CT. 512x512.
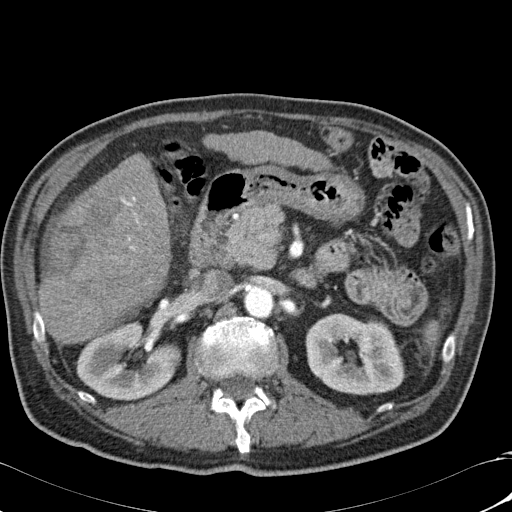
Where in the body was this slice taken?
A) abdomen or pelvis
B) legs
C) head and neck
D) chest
Answer: A) abdomen or pelvis
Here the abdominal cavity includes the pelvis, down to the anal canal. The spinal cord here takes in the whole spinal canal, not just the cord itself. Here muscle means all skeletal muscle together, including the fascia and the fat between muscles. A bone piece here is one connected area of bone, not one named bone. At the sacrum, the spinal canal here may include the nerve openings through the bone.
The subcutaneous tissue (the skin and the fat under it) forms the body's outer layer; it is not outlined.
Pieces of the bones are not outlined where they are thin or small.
{"abdominal_cavity":[[[254,113],[383,136],[417,154],[435,176],[465,256],[463,297],[435,381],[408,400],[371,409],[339,406],[292,375],[280,333],[233,315],[192,335],[185,374],[149,397],[109,404],[78,389],[55,366],[36,294],[36,241],[51,204],[116,138],[165,123]]],"torso":[[[237,92],[347,101],[385,111],[443,143],[480,188],[495,250],[491,317],[463,403],[433,439],[373,461],[317,473],[260,477],[233,470],[195,475],[100,457],[48,435],[27,417],[10,361],[0,282],[4,223],[23,179],[54,145],[94,121],[150,102]]],"spinal_cord":[[[237,373],[238,374],[242,374],[246,377],[248,377],[249,376],[255,381],[255,384],[252,390],[252,394],[243,400],[239,400],[238,401],[235,400],[230,396],[226,396],[222,388],[220,386],[220,381],[223,378],[227,378],[230,376],[233,376]]],"muscle":[{"outer":[[244,108],[340,116],[381,125],[394,131],[399,138],[411,140],[438,154],[474,197],[483,234],[482,279],[475,319],[449,380],[422,414],[343,446],[255,451],[242,455],[251,450],[246,423],[254,413],[277,407],[260,383],[279,366],[277,334],[283,337],[287,346],[287,370],[310,390],[339,407],[351,406],[359,410],[376,407],[377,414],[385,412],[395,403],[426,392],[436,381],[441,363],[446,364],[455,356],[457,336],[452,331],[464,297],[466,270],[464,240],[456,214],[436,176],[417,153],[377,133],[255,112],[203,121],[165,122],[116,137],[52,201],[40,223],[33,255],[38,309],[32,312],[32,335],[39,344],[46,338],[55,368],[77,389],[75,392],[81,400],[92,405],[97,400],[119,405],[136,403],[157,394],[186,374],[188,342],[192,336],[199,336],[194,364],[203,377],[216,383],[211,390],[209,409],[226,413],[234,422],[234,442],[239,453],[234,449],[195,454],[135,444],[103,431],[80,415],[59,398],[46,381],[31,348],[13,276],[17,225],[33,184],[72,147],[133,121],[166,113]],"hole":[[466,202],[468,202],[471,207],[471,211],[472,212],[472,218],[473,219],[473,225],[474,226],[474,232],[473,233],[473,238],[470,242],[469,242],[466,238],[466,234],[467,233],[467,226],[466,225],[466,215],[465,214],[465,203]]}],"bones":[{"outer":[[233,316],[247,316],[269,326],[277,346],[278,366],[259,381],[276,407],[267,406],[254,412],[245,423],[250,436],[250,450],[246,453],[240,453],[237,448],[235,422],[226,412],[210,409],[212,390],[217,383],[203,376],[194,360],[201,333],[209,325]],"hole":[[237,373],[238,374],[242,374],[246,377],[248,377],[249,376],[255,381],[255,384],[252,390],[252,394],[243,400],[239,400],[238,401],[235,400],[230,396],[226,396],[222,388],[220,386],[220,381],[223,378],[227,378],[230,376],[233,376]]},[[36,309],[39,311],[41,315],[41,317],[43,320],[43,323],[44,324],[44,328],[45,329],[45,340],[41,343],[39,343],[37,342],[34,338],[34,336],[33,335],[33,329],[32,328],[32,326],[33,325],[33,319],[34,318],[33,316],[33,312]],[[451,332],[453,332],[456,336],[456,339],[455,340],[455,349],[454,350],[454,356],[450,361],[449,361],[446,363],[445,362],[443,362],[442,361],[442,359],[441,358],[441,352],[442,351],[442,347],[443,346],[443,344],[444,343],[446,338]],[[466,202],[468,202],[471,207],[471,211],[472,212],[472,218],[473,219],[473,225],[474,226],[474,232],[473,233],[473,238],[470,242],[469,242],[466,238],[466,234],[467,233],[467,226],[466,225],[466,215],[465,214],[465,203]],[[77,390],[82,390],[85,392],[87,392],[89,394],[90,394],[92,396],[93,396],[96,399],[96,402],[94,404],[92,404],[89,402],[87,402],[86,401],[85,401],[84,400],[81,399],[79,397],[79,396],[77,394],[77,393],[76,392],[76,391]]]}